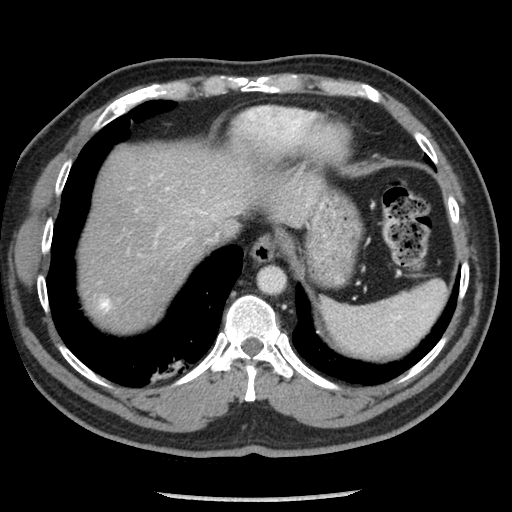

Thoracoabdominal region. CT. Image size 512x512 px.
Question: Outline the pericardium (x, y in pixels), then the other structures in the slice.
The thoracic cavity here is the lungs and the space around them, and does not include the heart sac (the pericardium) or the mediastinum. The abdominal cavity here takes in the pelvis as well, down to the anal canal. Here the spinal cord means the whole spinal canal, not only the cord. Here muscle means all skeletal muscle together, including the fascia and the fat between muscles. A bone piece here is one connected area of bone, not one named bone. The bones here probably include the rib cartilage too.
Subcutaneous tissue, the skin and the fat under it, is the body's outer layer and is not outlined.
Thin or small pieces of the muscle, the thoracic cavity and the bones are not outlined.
Answer: {"pericardium":[[[259,94],[298,96],[339,101],[352,108],[368,124],[371,134],[367,145],[347,167],[340,170],[339,172],[299,162],[280,161],[275,163],[260,159],[253,153],[250,153],[238,141],[232,138],[220,139],[208,132],[208,127],[217,114],[224,112],[241,97]]],"mediastinum":[[[260,228],[263,229],[263,237],[267,241],[269,247],[285,262],[291,273],[291,277],[295,282],[294,299],[296,322],[290,333],[281,329],[273,307],[258,295],[252,293],[243,294],[232,301],[225,309],[228,296],[236,280],[242,273],[243,248]],[[283,93],[311,93],[359,97],[378,104],[413,138],[423,152],[422,157],[421,155],[420,157],[413,157],[409,155],[399,155],[397,153],[382,153],[379,151],[375,151],[369,157],[358,157],[368,145],[372,134],[369,124],[352,107],[339,100],[271,94]],[[230,91],[265,93],[239,97],[224,111],[217,113],[205,130],[194,128],[169,129],[168,125],[165,127],[150,125],[143,129],[132,129],[131,131],[130,125],[132,120],[136,124],[168,111],[175,106],[175,102],[172,100],[207,98],[224,95]]],"muscle":[[[202,74],[221,74],[201,82],[198,93],[202,96],[184,98],[197,91],[196,86],[186,81],[176,80],[154,82],[130,91],[114,99],[97,116],[90,128],[95,133],[74,161],[69,156],[58,171],[54,193],[60,197],[59,210],[55,220],[51,215],[46,218],[40,241],[42,254],[50,255],[49,267],[45,276],[42,273],[36,276],[35,282],[39,303],[46,314],[50,313],[63,342],[55,345],[58,351],[78,373],[100,386],[113,389],[112,382],[141,388],[175,379],[169,385],[175,387],[208,369],[216,373],[228,371],[236,360],[244,363],[245,401],[201,429],[170,432],[138,425],[97,406],[40,365],[17,327],[8,287],[7,254],[34,184],[76,132],[84,116],[131,87],[152,82]],[[378,89],[404,104],[430,131],[469,199],[483,282],[480,312],[467,345],[422,391],[363,422],[315,427],[276,411],[265,399],[255,400],[260,362],[269,363],[286,379],[296,372],[333,391],[341,389],[334,381],[354,386],[393,379],[402,383],[440,353],[457,302],[470,282],[470,263],[460,262],[452,229],[460,221],[460,206],[451,193],[444,199],[436,175],[436,151],[422,132],[414,130],[412,136],[379,104],[384,98]],[[302,73],[309,73],[310,74],[315,74],[316,75],[321,75],[322,76],[328,76],[329,77],[333,77],[334,78],[338,78],[340,77],[345,79],[350,79],[351,80],[356,80],[357,81],[363,82],[348,83],[347,82],[343,82],[338,80],[322,78],[317,81],[314,85],[318,89],[326,94],[324,94],[323,93],[312,93],[311,92],[301,92],[303,91],[304,88],[306,86],[305,82],[307,78],[307,76],[304,73]]],"torso":[[[308,53],[362,59],[408,81],[445,115],[481,172],[498,229],[499,283],[486,336],[465,378],[438,409],[409,429],[315,455],[188,457],[118,442],[74,422],[34,384],[4,303],[0,238],[8,190],[22,151],[84,90],[119,67],[164,57],[248,61]]],"bones":[{"outer":[[247,294],[272,307],[299,358],[338,384],[339,390],[321,387],[296,371],[286,378],[274,372],[269,362],[260,361],[253,382],[255,399],[246,401],[248,375],[241,359],[234,360],[228,370],[208,368],[187,382],[170,386],[209,352],[223,327],[224,311]],"hole":[[248,338],[255,338],[256,339],[257,339],[260,342],[261,342],[262,343],[262,348],[256,354],[255,354],[254,355],[249,355],[248,354],[247,354],[242,349],[242,348],[241,347],[241,345],[242,344],[242,343],[246,339],[247,339]]},[[288,73],[301,73],[306,76],[304,82],[305,86],[300,92],[266,93],[260,91],[242,92],[238,90],[230,90],[224,94],[212,95],[207,97],[199,93],[202,82],[206,78],[211,76],[224,74],[230,76],[245,76],[250,80],[254,80],[262,75]],[[176,81],[186,82],[192,86],[196,87],[196,91],[195,92],[192,92],[181,99],[153,98],[152,99],[145,100],[134,106],[127,112],[113,119],[96,132],[91,130],[91,128],[98,116],[114,100],[130,92],[154,83],[163,84],[164,83],[175,82]],[[322,79],[338,81],[339,82],[347,83],[348,84],[366,83],[377,89],[382,95],[383,100],[378,103],[376,103],[368,99],[366,99],[363,97],[360,97],[359,96],[349,96],[348,95],[330,95],[329,94],[327,94],[315,85],[317,82]],[[58,343],[62,343],[64,344],[67,347],[67,348],[81,362],[82,362],[96,374],[106,379],[107,381],[113,386],[113,388],[108,388],[105,386],[103,386],[97,383],[95,383],[82,375],[79,372],[78,372],[64,358],[64,357],[61,354],[56,345]],[[443,334],[445,334],[446,335],[447,337],[447,340],[439,353],[434,358],[434,359],[423,369],[410,378],[402,382],[396,383],[395,382],[396,378],[398,376],[403,374],[406,371],[407,371],[413,365],[419,361],[430,350],[431,350],[441,338]],[[414,131],[419,131],[421,133],[422,133],[429,140],[430,143],[432,145],[435,151],[435,153],[437,157],[437,164],[435,165],[432,162],[432,161],[429,158],[429,157],[421,149],[421,148],[419,146],[417,142],[414,139],[413,137],[413,132]],[[465,260],[467,260],[468,261],[469,263],[469,266],[470,267],[469,282],[468,283],[468,286],[467,287],[467,289],[465,292],[464,296],[462,298],[462,299],[461,299],[459,301],[457,301],[458,289],[459,288],[459,279],[460,278],[460,266],[462,262]],[[49,216],[51,216],[54,221],[54,223],[53,224],[53,233],[52,234],[52,238],[51,239],[51,246],[50,247],[50,250],[49,252],[46,254],[43,254],[42,250],[41,249],[41,241],[42,240],[42,235],[43,234],[44,225],[47,218]],[[69,157],[70,157],[72,159],[73,162],[69,170],[69,172],[68,173],[66,181],[64,184],[63,189],[61,192],[61,195],[60,196],[57,196],[55,193],[55,184],[56,183],[56,180],[57,179],[59,171],[63,163],[65,161],[65,160],[66,160]],[[39,274],[42,274],[45,277],[45,283],[46,284],[47,297],[48,298],[49,311],[50,312],[48,313],[46,313],[44,311],[40,303],[40,301],[38,297],[38,294],[37,293],[37,287],[36,286],[36,282],[37,281],[37,276]],[[450,194],[453,195],[453,196],[457,201],[457,202],[458,203],[458,205],[459,206],[459,221],[457,224],[453,224],[452,225],[450,222],[450,218],[449,217],[449,215],[448,214],[448,209],[447,208],[447,206],[446,205],[446,201],[447,200],[447,198]]],"thoracic_cavity":[[[153,99],[174,106],[132,119],[129,136],[112,146],[95,174],[73,252],[81,314],[106,336],[132,338],[166,317],[194,270],[217,250],[239,246],[242,268],[208,352],[173,379],[131,387],[96,373],[64,343],[46,276],[62,192],[80,151],[107,124]],[[459,270],[456,304],[447,327],[431,349],[395,378],[375,385],[332,380],[307,365],[291,344],[287,333],[291,333],[297,322],[295,296],[296,284],[299,284],[309,302],[315,333],[330,350],[344,358],[372,365],[399,362],[418,347],[437,323],[448,303]]],"spinal_cord":[[[248,338],[255,338],[256,339],[257,339],[260,342],[261,342],[262,343],[262,348],[256,354],[255,354],[254,355],[249,355],[248,354],[247,354],[242,349],[242,348],[241,347],[241,345],[242,344],[242,343],[246,339],[247,339]]],"abdominal_cavity":[[[150,126],[207,130],[266,162],[339,173],[375,152],[421,156],[435,170],[460,263],[430,332],[386,364],[336,353],[316,333],[306,293],[261,227],[242,249],[229,244],[202,261],[149,331],[120,338],[96,329],[76,294],[76,244],[102,162],[132,130]]]}